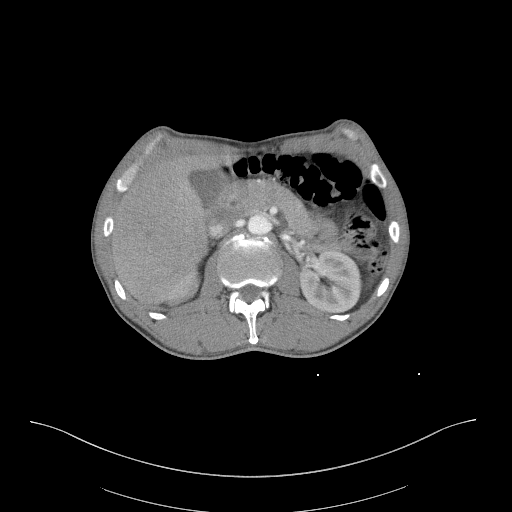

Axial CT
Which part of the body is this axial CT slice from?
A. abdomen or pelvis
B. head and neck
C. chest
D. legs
A. abdomen or pelvis
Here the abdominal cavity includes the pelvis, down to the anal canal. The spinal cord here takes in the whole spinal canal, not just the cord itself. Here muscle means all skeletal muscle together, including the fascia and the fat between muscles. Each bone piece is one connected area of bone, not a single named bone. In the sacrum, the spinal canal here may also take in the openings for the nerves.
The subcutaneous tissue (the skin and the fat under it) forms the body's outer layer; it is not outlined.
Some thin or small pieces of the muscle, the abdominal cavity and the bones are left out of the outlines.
Outlined structures:
spinal cord: [[249,284],[254,285],[255,286],[260,288],[261,289],[261,290],[259,292],[259,296],[255,299],[254,299],[251,302],[248,303],[247,302],[246,302],[243,299],[240,298],[240,295],[241,294],[238,290],[240,288],[241,288],[246,285],[248,285]]
bones 1: [[239,233],[262,236],[271,239],[278,248],[282,258],[281,274],[268,288],[269,306],[256,315],[255,331],[258,337],[256,344],[248,342],[249,328],[244,315],[242,313],[235,313],[229,310],[229,294],[232,290],[222,283],[215,267],[215,260],[224,240]], around a hole outlined by [[249,284],[254,285],[255,286],[260,288],[261,289],[261,290],[259,292],[259,296],[255,299],[254,299],[251,302],[248,303],[247,302],[246,302],[243,299],[240,298],[240,295],[241,294],[238,290],[240,288],[241,288],[246,285],[248,285]]
bones 2: [[140,159],[141,159],[141,162],[138,166],[138,169],[135,175],[133,177],[130,183],[128,185],[128,187],[127,189],[123,192],[118,192],[116,190],[116,188],[115,187],[116,180],[127,169],[127,168],[130,165],[131,165],[135,161],[138,161]]
bones 3: [[373,163],[376,163],[378,165],[379,168],[381,170],[381,171],[383,173],[383,174],[386,178],[386,180],[387,181],[387,184],[384,188],[380,188],[375,183],[374,183],[374,182],[372,180],[372,179],[370,176],[370,166],[371,165],[371,164],[372,164]]
bones 4: [[391,220],[395,220],[398,223],[398,224],[399,225],[399,230],[400,231],[400,236],[399,237],[399,240],[397,243],[395,243],[392,241],[392,240],[390,237],[390,235],[389,234],[389,232],[388,231],[388,226],[389,225],[389,224],[390,223]]
bones 5: [[107,216],[111,216],[112,217],[112,218],[113,219],[113,229],[112,230],[112,231],[111,232],[111,233],[108,236],[104,236],[103,235],[103,231],[102,230],[102,228],[103,227],[103,223],[104,222],[104,220],[105,219],[105,218]]
bones 6: [[384,276],[385,276],[386,277],[388,277],[388,278],[389,279],[389,283],[388,284],[388,286],[387,287],[387,289],[384,292],[384,293],[383,294],[382,294],[380,296],[377,296],[376,295],[376,289],[377,288],[379,283],[381,281],[382,278]]
bones 7: [[115,278],[116,279],[117,279],[118,280],[118,281],[121,284],[121,285],[122,286],[122,287],[123,288],[123,289],[124,290],[124,291],[126,294],[126,299],[125,299],[124,300],[123,300],[117,294],[117,293],[115,290],[115,287],[114,286],[114,279]]
bones 8: [[159,134],[161,136],[161,138],[153,146],[153,147],[150,150],[150,151],[147,154],[145,154],[145,153],[144,152],[144,151],[145,150],[145,147],[146,146],[146,145],[152,139],[153,139],[157,135],[158,135]]
abdominal cavity: [[277,147],[341,149],[354,156],[382,190],[389,206],[391,255],[371,295],[345,313],[318,311],[300,297],[295,260],[271,238],[239,232],[224,239],[209,257],[194,299],[166,313],[146,309],[132,300],[114,274],[109,242],[113,215],[138,170],[167,155]]
torso: [[342,117],[361,124],[373,140],[399,186],[410,227],[403,275],[387,307],[369,328],[338,349],[315,357],[294,358],[249,351],[214,360],[191,360],[164,352],[121,319],[95,272],[90,227],[104,183],[142,133],[165,124],[181,131],[250,141],[325,126]]
muscle: [[344,124],[356,126],[371,144],[397,190],[407,231],[401,269],[387,297],[365,323],[337,342],[315,351],[283,350],[257,344],[257,315],[270,306],[269,288],[282,274],[281,252],[290,256],[297,266],[299,297],[316,311],[328,314],[331,320],[348,319],[349,312],[375,291],[380,297],[388,289],[390,279],[384,275],[392,255],[392,242],[399,242],[401,231],[399,223],[390,219],[390,206],[382,189],[388,184],[387,178],[376,162],[370,164],[369,172],[354,155],[338,147],[297,149],[277,146],[234,152],[183,152],[161,156],[139,169],[142,159],[135,160],[115,180],[115,190],[121,196],[112,216],[104,218],[101,228],[102,235],[109,236],[108,258],[115,277],[116,294],[123,301],[127,296],[148,310],[150,318],[164,320],[167,312],[198,297],[204,283],[205,266],[220,246],[214,267],[221,283],[231,290],[228,310],[245,318],[247,342],[250,344],[197,355],[178,351],[156,339],[120,309],[96,260],[95,220],[110,180],[143,138],[156,130],[164,130],[178,137],[258,147],[276,145],[288,138],[328,133]]; inner edges: [[159,134],[161,136],[161,138],[153,146],[153,147],[150,150],[150,151],[147,154],[145,154],[145,153],[144,152],[144,151],[145,150],[145,147],[146,146],[146,145],[152,139],[153,139],[157,135],[158,135]], then [[344,129],[350,129],[351,130],[352,130],[356,134],[356,135],[357,136],[357,138],[356,139],[353,139],[352,138],[350,138],[349,137],[348,137],[344,133],[344,132],[343,131],[343,130]]